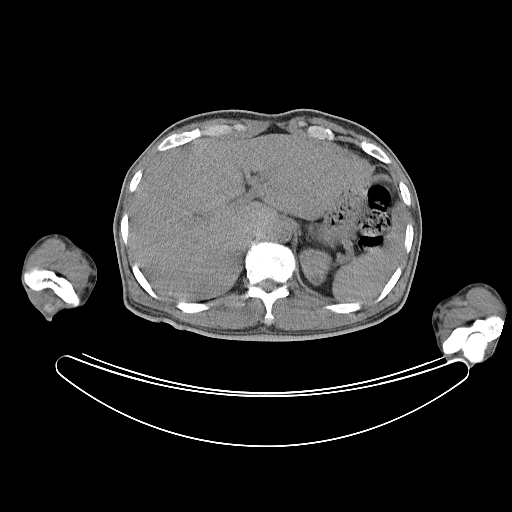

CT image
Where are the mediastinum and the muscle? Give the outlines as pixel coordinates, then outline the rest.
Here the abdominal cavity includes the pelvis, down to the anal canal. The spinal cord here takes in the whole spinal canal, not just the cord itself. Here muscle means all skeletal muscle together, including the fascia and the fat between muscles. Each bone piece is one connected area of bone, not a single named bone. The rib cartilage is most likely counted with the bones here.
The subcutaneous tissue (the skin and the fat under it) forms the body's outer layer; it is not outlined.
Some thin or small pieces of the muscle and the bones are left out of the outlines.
The mediastinum appears in 2 outlined pieces: piece 1: [[277,219],[281,219],[284,221],[289,221],[293,225],[293,247],[292,247],[291,249],[287,245],[285,245],[282,243],[280,243],[276,241],[266,240],[265,239],[264,240],[261,240],[263,236],[263,234],[265,231],[265,229],[268,224],[271,221],[276,220]]; piece 2: [[337,140],[343,141],[344,142],[348,142],[355,145],[357,147],[360,148],[366,154],[375,158],[377,160],[381,162],[381,163],[380,162],[377,162],[376,161],[372,160],[365,154],[362,153],[358,150],[354,150],[353,149],[351,149],[344,146]]. The muscle appears in 5 outlined pieces: piece 1: [[380,146],[405,175],[415,203],[416,244],[405,288],[395,303],[362,321],[331,329],[286,330],[272,324],[270,325],[266,325],[263,323],[232,329],[193,325],[130,298],[119,230],[133,258],[130,267],[139,285],[154,299],[161,296],[176,300],[175,306],[184,313],[208,310],[213,304],[210,302],[233,292],[244,274],[246,290],[239,296],[243,300],[261,300],[265,308],[263,321],[264,323],[265,324],[266,324],[267,325],[269,325],[271,324],[272,323],[274,319],[272,307],[275,301],[290,294],[287,282],[294,273],[298,284],[307,292],[336,302],[323,306],[334,313],[355,312],[363,302],[376,296],[373,301],[378,303],[402,274],[400,262],[404,251],[410,252],[414,237],[413,225],[406,221],[405,207],[412,202],[410,190],[402,180],[398,183],[384,165],[392,160]]; piece 2: [[298,116],[320,117],[332,121],[345,128],[351,129],[357,133],[369,137],[378,144],[365,139],[355,140],[355,144],[348,141],[336,139],[335,133],[329,127],[317,124],[308,125],[306,127],[305,133],[293,132],[273,124],[260,132],[255,134],[249,134],[245,131],[247,129],[247,126],[240,122],[236,122],[233,124],[213,123],[207,124],[202,128],[195,127],[188,130],[173,132],[167,135],[156,146],[156,149],[158,151],[147,164],[145,169],[143,171],[141,168],[139,168],[132,175],[128,183],[128,190],[133,193],[129,203],[129,209],[127,212],[124,212],[120,218],[125,187],[131,172],[152,146],[171,131],[192,122],[212,118],[243,118],[251,120],[272,120],[282,122]]; piece 3: [[53,237],[62,240],[68,248],[74,248],[78,250],[87,260],[91,268],[91,273],[88,277],[89,284],[85,289],[81,298],[75,290],[72,283],[68,279],[57,274],[53,270],[37,267],[33,267],[28,270],[25,270],[26,263],[30,254],[44,241]]; piece 4: [[474,287],[485,288],[499,301],[502,307],[502,318],[497,314],[490,314],[482,318],[476,318],[469,324],[456,326],[450,332],[447,337],[441,342],[440,336],[438,333],[438,324],[440,322],[439,313],[441,307],[454,297],[456,296],[463,296],[470,289]]; piece 5: [[30,289],[34,291],[51,290],[52,292],[56,296],[60,298],[65,303],[69,305],[68,306],[63,306],[62,307],[60,307],[56,311],[55,311],[51,314],[48,314],[47,313],[45,313],[35,303],[35,302],[33,300],[32,298],[32,295],[30,291]]. The right arm is outlined by [[49,233],[60,233],[68,237],[74,243],[89,253],[94,260],[97,268],[97,280],[85,304],[82,307],[79,307],[72,310],[61,311],[56,314],[50,321],[45,319],[40,312],[30,302],[20,280],[21,267],[26,252],[30,246],[37,239]]. The left arm is outlined by [[473,282],[485,282],[492,286],[499,293],[504,301],[506,305],[506,314],[503,320],[501,333],[498,337],[498,341],[492,356],[484,361],[476,362],[473,365],[468,365],[462,360],[448,360],[442,356],[435,341],[431,325],[431,317],[433,309],[440,300]]. The torso is outlined by [[297,108],[319,109],[365,126],[391,148],[409,174],[417,192],[422,232],[413,279],[402,307],[375,325],[303,341],[208,337],[176,329],[165,322],[150,321],[130,311],[122,299],[113,219],[124,176],[134,160],[166,127],[196,113],[215,109],[279,113]]. The spinal cord is outlined by [[268,278],[269,279],[271,279],[272,280],[273,280],[276,283],[277,283],[277,285],[272,290],[271,290],[270,291],[266,291],[265,290],[264,290],[259,285],[259,284],[261,282],[261,281],[262,281],[263,280],[264,280],[265,279],[267,279]]. The bones appear in 14 outlined pieces: piece 1: [[265,240],[287,246],[295,258],[295,269],[292,276],[286,282],[289,294],[285,297],[277,298],[274,301],[271,307],[273,319],[269,324],[264,321],[266,308],[260,298],[248,297],[243,299],[240,296],[247,290],[248,284],[244,265],[246,254],[252,242]], around a hole outlined by [[268,278],[269,279],[271,279],[272,280],[273,280],[276,283],[277,283],[277,285],[272,290],[271,290],[270,291],[266,291],[265,290],[264,290],[259,285],[259,284],[261,282],[261,281],[262,281],[263,280],[264,280],[265,279],[267,279]]; piece 2: [[490,315],[497,315],[503,319],[503,326],[499,336],[490,341],[487,344],[484,357],[481,361],[475,363],[468,361],[464,357],[463,352],[461,350],[451,354],[446,354],[443,352],[442,349],[443,341],[448,337],[456,327],[469,325],[476,319],[482,319]]; piece 3: [[33,268],[51,270],[57,275],[61,276],[68,280],[71,283],[74,290],[80,298],[79,304],[77,306],[72,306],[70,305],[68,303],[65,302],[60,297],[56,295],[51,289],[34,290],[30,288],[26,284],[23,279],[23,273],[24,271],[28,271]]; piece 4: [[236,123],[240,123],[245,125],[246,129],[244,131],[234,130],[230,133],[220,135],[205,135],[204,134],[185,143],[168,148],[162,151],[159,151],[157,149],[157,146],[167,136],[173,133],[188,131],[195,128],[202,129],[207,125],[213,124],[233,125]]; piece 5: [[362,140],[365,140],[368,142],[370,142],[371,143],[374,143],[375,144],[378,145],[388,156],[388,157],[391,160],[391,162],[388,164],[387,163],[384,163],[383,162],[380,161],[375,157],[366,153],[357,144],[356,144],[355,143],[355,141],[361,141]]; piece 6: [[352,302],[362,302],[362,303],[361,304],[361,307],[359,309],[358,309],[355,311],[352,311],[351,312],[349,312],[348,313],[338,313],[337,312],[334,312],[329,309],[326,309],[325,308],[324,308],[324,306],[327,304],[333,304],[334,303],[351,303]]; piece 7: [[310,125],[317,125],[318,126],[322,126],[323,127],[325,127],[326,128],[329,128],[334,133],[334,134],[335,135],[335,139],[326,139],[325,138],[324,139],[321,139],[318,137],[312,137],[311,136],[309,136],[306,133],[306,130],[307,129],[307,127]]; piece 8: [[134,262],[137,263],[137,265],[140,271],[143,274],[144,277],[147,280],[147,281],[151,286],[152,289],[159,297],[158,299],[156,298],[154,298],[152,296],[151,296],[140,285],[140,284],[136,279],[132,271],[132,268],[131,267],[131,265]]; piece 9: [[398,266],[401,266],[402,270],[401,271],[401,274],[399,276],[397,281],[395,283],[393,287],[390,290],[390,291],[382,299],[381,299],[378,302],[375,302],[374,301],[375,299],[380,293],[380,292],[384,287],[385,284],[391,277],[392,274],[395,271]]; piece 10: [[180,300],[182,301],[184,301],[185,302],[190,302],[192,304],[204,304],[205,303],[212,303],[212,304],[209,307],[208,309],[206,309],[205,310],[202,310],[198,312],[193,312],[192,313],[189,313],[188,312],[184,312],[176,306],[176,303]]; piece 11: [[124,213],[127,213],[127,215],[128,216],[128,244],[127,245],[126,245],[124,243],[124,242],[123,241],[123,238],[122,237],[122,236],[121,235],[121,233],[120,232],[120,219],[121,218],[121,217],[122,216],[122,215]]; piece 12: [[409,222],[411,223],[412,225],[412,227],[413,228],[413,237],[412,238],[412,241],[411,242],[411,246],[410,247],[410,250],[409,252],[407,253],[405,251],[405,247],[404,246],[404,241],[405,240],[405,230],[406,229],[406,225],[407,223]]; piece 13: [[399,181],[402,181],[407,186],[407,187],[409,190],[409,192],[410,193],[410,200],[411,201],[411,202],[410,203],[410,205],[406,205],[404,203],[404,202],[403,201],[403,200],[401,197],[401,194],[400,193],[400,190],[399,189]]; piece 14: [[139,169],[141,169],[142,170],[142,174],[141,175],[141,178],[140,179],[140,180],[139,181],[139,182],[138,183],[138,184],[137,185],[135,190],[134,191],[131,192],[129,190],[129,183],[130,182],[130,181],[131,180],[133,175]]. The abdominal cavity is outlined by [[273,125],[336,140],[383,164],[405,206],[399,265],[366,301],[337,302],[314,295],[294,272],[294,225],[277,218],[267,224],[260,240],[251,242],[245,272],[228,295],[192,303],[156,293],[129,247],[130,203],[148,164],[158,152],[200,136],[255,135]].